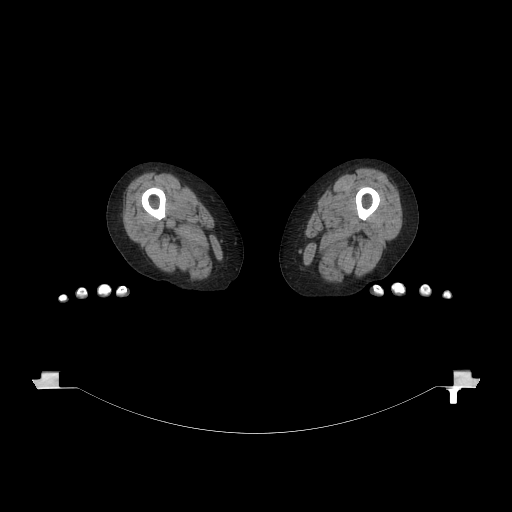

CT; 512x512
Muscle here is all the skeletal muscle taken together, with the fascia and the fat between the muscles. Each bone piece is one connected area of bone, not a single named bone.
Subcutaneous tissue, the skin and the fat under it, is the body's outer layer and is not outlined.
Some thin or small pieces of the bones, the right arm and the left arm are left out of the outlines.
Outlined structures:
left arm 1: 395 282; 399 282; 400 283; 401 283; 404 286; 404 287; 405 288; 405 295; 403 297; 398 297; 397 296; 395 296; 392 293; 392 289; 391 288; 391 286; 392 285; 392 284; 393 283; 394 283
left arm 2: 375 283; 377 283; 377 284; 378 285; 379 285; 382 288; 382 289; 383 290; 383 295; 382 295; 381 296; 375 296; 374 295; 372 295; 369 292; 369 290; 368 289; 368 288; 371 285; 372 285; 373 284; 374 284
left arm 3: 424 284; 425 284; 426 285; 427 285; 428 286; 429 286; 429 287; 431 290; 431 292; 430 293; 430 294; 427 297; 425 297; 424 296; 422 296; 421 295; 420 295; 420 292; 419 291; 419 289; 420 288; 420 287; 422 285; 423 285
muscle 1: 360 167; 375 168; 391 177; 399 192; 402 207; 402 226; 400 232; 391 242; 387 251; 373 271; 364 277; 349 283; 336 284; 318 280; 314 276; 308 274; 295 260; 294 255; 299 239; 318 199; 325 190; 341 175, around a hole outlined by 363 186; 369 186; 375 189; 378 192; 379 194; 379 198; 380 199; 379 200; 379 204; 377 208; 365 220; 362 220; 360 218; 359 218; 357 214; 357 211; 356 210; 356 204; 355 203; 355 195; 357 191; 361 187
muscle 2: 150 171; 163 171; 171 173; 177 177; 195 193; 199 200; 217 221; 221 237; 225 244; 227 258; 225 265; 214 271; 206 279; 191 281; 174 277; 161 271; 146 259; 137 246; 128 237; 122 220; 124 194; 127 186; 133 179; 145 172 with a hole at 150 187; 158 187; 159 188; 162 189; 165 193; 165 196; 166 197; 166 203; 165 204; 165 216; 161 219; 157 219; 153 216; 150 215; 143 208; 143 207; 142 206; 142 204; 141 203; 141 195; 142 194; 142 193; 146 189; 147 189
right leg: 146 161; 166 162; 194 173; 207 182; 219 194; 225 203; 241 234; 244 248; 243 263; 238 276; 225 290; 209 292; 184 290; 165 281; 153 280; 135 271; 126 262; 115 247; 106 226; 106 206; 109 195; 115 183; 129 168; 136 164
left leg: 360 157; 371 157; 383 160; 394 166; 408 180; 414 191; 418 204; 419 223; 417 233; 412 244; 403 257; 390 273; 383 279; 347 297; 304 297; 290 288; 280 270; 278 253; 282 233; 287 218; 297 200; 316 179; 336 165; 347 160
right arm 1: 102 284; 106 284; 107 285; 108 285; 109 286; 109 287; 110 288; 110 291; 109 292; 109 294; 107 296; 107 297; 106 297; 105 298; 101 298; 100 297; 98 297; 98 296; 97 295; 97 290; 98 289; 98 287; 100 285; 101 285
right arm 2: 120 286; 124 286; 125 287; 127 287; 128 288; 129 288; 129 289; 130 290; 130 292; 129 293; 129 294; 127 296; 126 296; 125 297; 118 297; 117 296; 117 295; 116 294; 116 291; 117 290; 117 289
right arm 3: 79 288; 84 288; 86 290; 86 291; 87 292; 87 295; 85 297; 85 298; 81 298; 80 299; 79 298; 78 298; 77 297; 76 297; 76 294; 75 293; 75 292; 76 291; 76 290; 77 290
bones 1: 150 187; 158 187; 159 188; 162 189; 165 193; 165 196; 166 197; 166 203; 165 204; 165 216; 161 219; 157 219; 153 216; 150 215; 143 208; 143 207; 142 206; 142 204; 141 203; 141 195; 142 194; 142 193; 146 189; 147 189
bones 2: 363 186; 369 186; 375 189; 378 192; 379 194; 379 198; 380 199; 379 200; 379 204; 377 208; 365 220; 362 220; 360 218; 359 218; 357 214; 357 211; 356 210; 356 204; 355 203; 355 195; 357 191; 361 187
bones 3: 395 282; 399 282; 400 283; 401 283; 404 286; 404 287; 405 288; 405 292; 404 293; 395 293; 392 290; 392 289; 391 288; 391 286; 392 285; 392 284; 393 283; 394 283
bones 4: 102 284; 106 284; 107 285; 108 285; 109 286; 109 287; 110 288; 110 291; 109 292; 109 294; 108 294; 107 295; 103 295; 102 294; 99 294; 97 292; 97 290; 98 289; 98 287; 100 285; 101 285
bones 5: 424 284; 425 284; 426 285; 427 285; 428 286; 429 286; 429 287; 431 290; 431 292; 430 293; 430 294; 428 296; 423 296; 420 294; 420 292; 419 291; 419 289; 420 288; 420 287; 422 285; 423 285
bones 6: 374 284; 377 284; 378 285; 379 285; 382 288; 382 289; 383 290; 383 295; 378 295; 377 294; 376 294; 373 291; 373 288; 372 287; 372 286
bones 7: 79 288; 84 288; 86 290; 86 291; 87 292; 87 295; 85 297; 84 297; 83 298; 80 298; 79 297; 78 297; 76 295; 76 292; 77 291; 77 290
bones 8: 120 286; 124 286; 125 287; 126 287; 126 292; 125 293; 125 294; 124 294; 123 295; 117 295; 116 294; 116 291; 117 290; 117 289